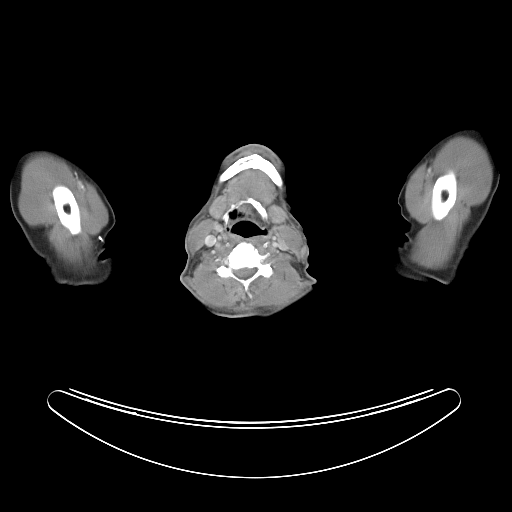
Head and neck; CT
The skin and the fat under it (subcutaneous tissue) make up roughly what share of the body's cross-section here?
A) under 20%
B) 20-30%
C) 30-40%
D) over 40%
Answer: B) 20-30%
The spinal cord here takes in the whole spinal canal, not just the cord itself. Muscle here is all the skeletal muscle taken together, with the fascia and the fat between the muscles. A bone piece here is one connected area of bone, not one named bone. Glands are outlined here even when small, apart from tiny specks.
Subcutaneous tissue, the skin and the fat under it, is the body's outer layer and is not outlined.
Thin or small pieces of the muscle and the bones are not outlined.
{"left_arm":[[[466,127],[476,128],[481,132],[499,173],[499,183],[487,215],[473,237],[458,275],[452,283],[444,284],[434,280],[422,282],[401,277],[391,264],[395,247],[406,239],[404,233],[409,227],[400,214],[396,200],[399,190],[410,169],[436,142],[447,134]]],"head_and_neck":[{"outer":[[253,143],[271,149],[285,165],[287,200],[292,214],[304,230],[309,249],[307,271],[317,282],[313,286],[311,293],[291,307],[269,318],[218,316],[208,312],[179,280],[187,258],[184,245],[185,234],[190,220],[208,197],[212,178],[222,158],[240,146]],"hole":[[241,221],[248,221],[249,222],[251,222],[252,223],[255,224],[262,230],[265,231],[265,233],[260,233],[259,234],[250,235],[249,236],[247,236],[246,237],[245,236],[240,235],[237,233],[235,233],[233,231],[232,231],[232,226],[237,222],[240,222]]}],"right_arm":[[[34,146],[54,148],[76,162],[98,183],[114,210],[116,222],[107,236],[106,247],[101,257],[112,257],[115,260],[116,266],[113,275],[102,285],[96,287],[72,287],[55,283],[44,261],[30,248],[12,213],[9,200],[9,186],[12,175],[21,154]]],"spinal_cord":[[[242,268],[255,268],[256,269],[256,270],[255,271],[255,272],[252,275],[251,275],[250,276],[249,276],[246,278],[241,278],[240,277],[238,277],[235,274],[234,274],[234,273],[233,272],[233,271],[234,270],[237,270],[238,269],[241,269]]],"submandibular_glands":[[[221,195],[225,196],[225,203],[226,205],[225,206],[225,209],[223,212],[223,214],[221,216],[221,217],[220,217],[218,219],[216,219],[212,217],[210,215],[208,211],[208,209],[210,206],[210,204],[212,202],[214,198],[215,198],[217,196],[220,196]],[[273,205],[277,205],[278,206],[281,206],[285,210],[285,211],[286,212],[286,214],[287,215],[287,217],[286,218],[285,221],[284,221],[281,223],[274,223],[272,221],[272,220],[271,219],[271,218],[269,215],[269,209],[270,208],[270,207]]],"bones":[{"outer":[[240,241],[251,243],[260,254],[267,252],[270,254],[269,260],[271,261],[270,265],[272,274],[269,277],[260,275],[250,283],[248,290],[251,297],[245,292],[241,283],[232,277],[221,277],[215,270],[220,264],[215,261],[215,259],[218,257],[225,257]],"hole":[[242,268],[255,268],[256,269],[256,270],[255,271],[255,272],[252,275],[251,275],[250,276],[249,276],[246,278],[241,278],[240,277],[238,277],[235,274],[234,274],[234,273],[233,272],[233,271],[234,270],[237,270],[238,269],[241,269]]},[[450,170],[454,172],[455,177],[456,178],[456,197],[455,198],[455,202],[452,207],[449,210],[448,213],[441,220],[436,220],[434,219],[432,215],[432,211],[431,210],[431,197],[432,196],[432,190],[433,189],[433,186],[436,179],[439,176],[446,173]],[[57,185],[64,185],[66,186],[72,192],[76,200],[76,202],[79,208],[80,226],[81,227],[81,231],[78,234],[75,234],[74,235],[72,234],[60,222],[60,220],[57,214],[57,211],[54,204],[53,197],[52,196],[52,190],[53,188]],[[252,153],[257,153],[272,163],[277,171],[280,174],[283,180],[283,186],[282,187],[279,187],[276,185],[269,176],[262,170],[258,168],[252,168],[251,167],[238,172],[230,178],[224,181],[221,182],[218,181],[218,177],[219,175],[226,168],[239,158]],[[249,197],[259,202],[264,207],[268,216],[267,219],[263,220],[256,209],[250,203],[242,203],[229,214],[230,219],[228,222],[228,224],[226,226],[224,224],[224,221],[222,218],[222,216],[224,213],[232,204],[235,204],[237,202],[241,200],[244,200]]],"muscle":[{"outer":[[250,168],[265,173],[279,188],[284,186],[283,200],[287,213],[302,234],[305,244],[302,273],[309,282],[309,286],[299,297],[281,307],[229,311],[206,304],[183,279],[192,261],[187,242],[188,232],[207,209],[212,218],[216,220],[221,218],[226,227],[231,218],[236,216],[234,211],[242,204],[250,204],[263,221],[268,219],[265,207],[252,197],[232,203],[225,211],[226,196],[221,194],[213,199],[217,182],[224,182]],"holes":[[[240,241],[251,243],[260,254],[267,252],[270,254],[269,260],[271,261],[270,265],[272,274],[269,277],[260,275],[250,283],[248,290],[251,297],[245,292],[241,283],[232,277],[221,277],[215,270],[220,264],[215,261],[215,259],[218,257],[225,257]],[[241,221],[248,221],[249,222],[251,222],[252,223],[255,224],[262,230],[265,231],[265,233],[260,233],[259,234],[250,235],[249,236],[247,236],[246,237],[245,236],[240,235],[237,233],[235,233],[233,231],[232,231],[232,226],[237,222],[240,222]],[[273,205],[277,205],[278,206],[281,206],[285,210],[285,211],[286,212],[286,214],[287,215],[287,217],[286,218],[285,221],[284,221],[281,223],[274,223],[272,221],[272,220],[271,219],[271,218],[269,215],[269,209],[270,208],[270,207]]]},{"outer":[[458,135],[468,135],[475,138],[485,149],[493,172],[491,186],[485,200],[471,210],[470,220],[463,229],[448,266],[442,269],[424,268],[411,261],[408,257],[411,240],[420,227],[410,217],[406,209],[406,186],[411,175],[422,163],[433,157],[448,140]],"hole":[[450,170],[454,172],[455,177],[456,178],[456,197],[455,198],[455,202],[452,207],[449,210],[448,213],[441,220],[436,220],[434,219],[432,215],[432,211],[431,210],[431,197],[432,196],[432,190],[433,189],[433,186],[436,179],[439,176],[446,173]]},{"outer":[[39,152],[45,152],[57,156],[76,170],[94,186],[107,209],[108,222],[102,230],[95,251],[96,266],[91,271],[76,271],[64,266],[49,247],[44,234],[45,230],[41,227],[31,227],[24,220],[19,211],[18,195],[20,191],[23,164],[28,157]],"hole":[[57,185],[64,185],[66,186],[72,192],[76,200],[76,202],[79,208],[80,226],[81,227],[81,231],[78,234],[75,234],[74,235],[72,234],[60,222],[60,220],[57,214],[57,211],[54,204],[53,197],[52,196],[52,190],[53,188]]},[[249,147],[258,147],[267,151],[270,154],[271,154],[278,162],[280,166],[280,173],[271,161],[257,152],[252,152],[251,153],[249,153],[248,154],[246,154],[243,156],[239,157],[224,169],[224,165],[226,161],[229,158],[237,154],[241,150],[243,150]]]}